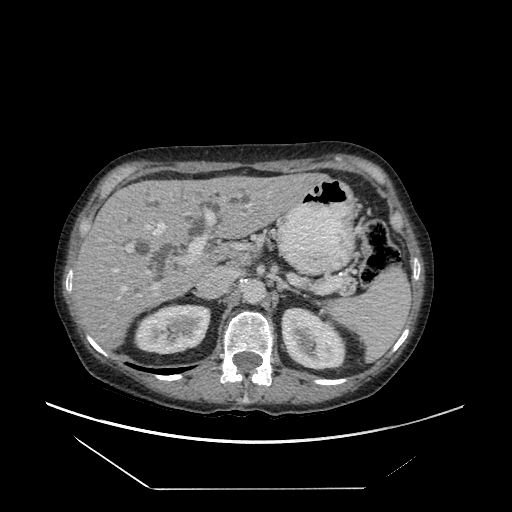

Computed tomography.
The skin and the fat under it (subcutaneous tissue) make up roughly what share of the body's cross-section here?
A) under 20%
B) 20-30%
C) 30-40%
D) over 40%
A) under 20%
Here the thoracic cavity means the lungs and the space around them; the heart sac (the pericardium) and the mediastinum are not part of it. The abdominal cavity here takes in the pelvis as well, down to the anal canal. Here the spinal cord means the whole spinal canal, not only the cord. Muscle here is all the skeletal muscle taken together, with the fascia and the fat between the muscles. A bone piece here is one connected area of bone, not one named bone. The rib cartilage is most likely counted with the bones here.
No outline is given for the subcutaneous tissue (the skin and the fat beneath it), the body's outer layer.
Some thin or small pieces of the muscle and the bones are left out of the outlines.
Outlines:
spinal cord: (240, 352) (251, 352) (252, 353) (254, 353) (260, 356) (261, 358) (261, 363) (259, 365) (256, 366) (254, 368) (254, 369) (250, 372) (248, 373) (243, 373) (239, 370) (238, 367) (234, 363) (233, 361) (233, 357) (234, 355)
muscle: (336, 153) (352, 154) (367, 159) (382, 168) (388, 175) (404, 211) (406, 213) (411, 224) (413, 232) (415, 234) (415, 237) (420, 248) (421, 255) (424, 261) (424, 274) (425, 275) (424, 292) (422, 297) (422, 302) (420, 306) (419, 315) (415, 325) (415, 329) (409, 342) (402, 351) (401, 354) (388, 367) (353, 391) (349, 391) (340, 396) (337, 396) (329, 400) (325, 400) (321, 402) (316, 402) (310, 404) (289, 404) (288, 403) (282, 403) (281, 404) (253, 403) (248, 404) (250, 403) (250, 400) (247, 394) (245, 393) (240, 400) (240, 402) (243, 404) (237, 404) (234, 403) (233, 401) (228, 403) (209, 403) (208, 402) (196, 402) (189, 400) (176, 399) (156, 392) (123, 373) (100, 362) (86, 348) (69, 313) (67, 305) (62, 294) (62, 283) (61, 282) (64, 267) (66, 263) (70, 234) (75, 221) (79, 213) (85, 206) (99, 181) (110, 170) (122, 163) (141, 159) (150, 161) (159, 161) (160, 162) (166, 162) (167, 161) (200, 161) (203, 160) (204, 161) (215, 161) (216, 162) (253, 163) (258, 161) (273, 161) (280, 159) (300, 159) (309, 157) (321, 157) (328, 154) (335, 154), around holes outlined by (127, 166) (134, 170) (114, 188) (161, 171) (249, 167) (361, 175) (384, 199) (389, 217) (400, 214) (409, 261) (417, 257) (420, 263) (419, 278) (412, 281) (407, 337) (391, 354) (330, 385) (286, 367) (275, 338) (269, 385) (220, 381) (222, 371) (211, 368) (222, 359) (220, 331) (211, 357) (178, 380) (158, 379) (113, 353) (103, 355) (86, 338) (65, 279) (76, 267) (84, 237) (80, 223) (85, 217) (92, 222) (105, 199) (99, 197) (102, 185) and by (356, 162) (362, 162) (365, 164) (367, 164) (368, 165) (370, 165) (371, 166) (373, 166) (377, 168) (377, 169) (379, 170) (379, 171) (382, 174) (384, 178) (384, 183) (383, 184) (380, 184) (378, 183) (369, 174) (368, 174) (361, 168) (358, 167) (355, 163)
torso: (321, 140) (352, 142) (383, 157) (404, 185) (431, 242) (434, 287) (423, 333) (411, 355) (379, 390) (368, 398) (324, 412) (274, 416) (234, 409) (203, 415) (163, 407) (134, 397) (102, 382) (85, 369) (55, 307) (53, 269) (63, 224) (96, 173) (113, 159) (142, 148)
thoracic cavity: (125, 362) (128, 362) (129, 363) (134, 364) (137, 366) (141, 366) (145, 368) (153, 368) (154, 369) (159, 369) (160, 368) (186, 368) (187, 367) (193, 367) (193, 368) (188, 369) (183, 372) (162, 374) (161, 373) (152, 373) (147, 371) (139, 370) (127, 365)
abdominal cavity: (240, 167) (353, 172) (386, 202) (391, 226) (409, 255) (412, 299) (405, 327) (366, 369) (319, 377) (286, 367) (273, 327) (261, 312) (249, 309) (229, 319) (211, 357) (195, 366) (154, 368) (123, 361) (88, 333) (74, 299) (74, 269) (80, 244) (110, 192) (161, 171)
bones 1: (244, 310) (261, 313) (273, 329) (273, 345) (270, 357) (273, 372) (269, 385) (256, 384) (250, 381) (247, 382) (246, 386) (244, 381) (222, 383) (220, 381) (222, 371) (218, 368) (211, 368) (218, 365) (222, 359) (220, 354) (223, 352) (223, 334) (228, 322) (232, 317); inner edge: (240, 352) (251, 352) (252, 353) (254, 353) (260, 356) (261, 358) (261, 363) (259, 365) (256, 366) (254, 368) (254, 369) (250, 372) (248, 373) (243, 373) (239, 370) (238, 367) (234, 363) (233, 361) (233, 357) (234, 355)
bones 2: (127, 166) (131, 166) (133, 167) (134, 168) (134, 170) (131, 173) (124, 177) (120, 181) (116, 183) (109, 193) (104, 198) (100, 198) (99, 197) (100, 190) (102, 185) (105, 181) (107, 180) (108, 178) (112, 175) (112, 174) (121, 168) (126, 167)
bones 3: (356, 162) (362, 162) (365, 164) (367, 164) (368, 165) (370, 165) (371, 166) (373, 166) (377, 168) (377, 169) (379, 170) (379, 171) (382, 174) (384, 178) (384, 183) (383, 184) (380, 184) (378, 183) (369, 174) (368, 174) (361, 168) (358, 167) (355, 163)
bones 4: (343, 377) (347, 377) (348, 378) (348, 379) (346, 381) (345, 381) (342, 383) (339, 383) (338, 384) (331, 384) (330, 385) (323, 385) (322, 384) (317, 384) (316, 383) (315, 383) (313, 381) (313, 380) (314, 380) (315, 379) (317, 379) (318, 378) (342, 378)
bones 5: (395, 211) (397, 211) (400, 214) (400, 215) (401, 216) (401, 219) (402, 220) (402, 222) (403, 223) (403, 225) (401, 228) (401, 231) (400, 232) (398, 232) (397, 231) (396, 231) (393, 228) (393, 227) (392, 226) (392, 224) (391, 223) (391, 217) (393, 215) (393, 214)
bones 6: (406, 327) (408, 327) (409, 328) (409, 333) (408, 334) (407, 337) (404, 340) (404, 341) (398, 347) (398, 348) (394, 352) (393, 352) (391, 354) (389, 354) (389, 351) (394, 345) (394, 344) (396, 342) (396, 341) (398, 339) (398, 338) (402, 333) (403, 330)
bones 7: (414, 257) (417, 257) (417, 258) (418, 259) (418, 260) (419, 261) (419, 262) (420, 263) (420, 272) (419, 273) (419, 278) (417, 280) (413, 280) (412, 279) (412, 259)
bones 8: (70, 268) (72, 268) (73, 269) (73, 279) (72, 280) (72, 291) (70, 293) (69, 293) (66, 290) (66, 289) (65, 288) (65, 279) (66, 278) (66, 275) (67, 274) (67, 272) (68, 271) (68, 270)
bones 9: (178, 373) (182, 373) (182, 374) (183, 375) (182, 376) (182, 377) (180, 379) (179, 379) (178, 380) (164, 380) (163, 379) (158, 379) (156, 377) (155, 377) (154, 376) (154, 375) (153, 374) (161, 374) (162, 375) (168, 375) (169, 374) (177, 374)
bones 10: (86, 334) (89, 334) (91, 336) (91, 337) (92, 338) (93, 338) (93, 339) (108, 354) (108, 356) (105, 356) (104, 355) (103, 355) (101, 353) (100, 353) (98, 351) (97, 351) (90, 344) (90, 343) (88, 341) (88, 340) (86, 338)
bones 11: (85, 217) (86, 218) (89, 219) (89, 222) (90, 223) (90, 225) (89, 226) (89, 227) (88, 228) (88, 229) (87, 230) (87, 231) (86, 232) (85, 235) (84, 235) (83, 236) (81, 236) (79, 233) (79, 226) (80, 225) (80, 223) (82, 221) (83, 218) (84, 218)